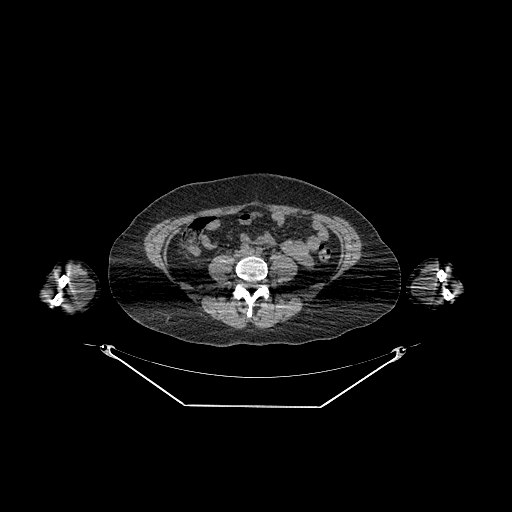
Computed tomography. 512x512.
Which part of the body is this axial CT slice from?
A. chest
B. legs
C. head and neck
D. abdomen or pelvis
D. abdomen or pelvis
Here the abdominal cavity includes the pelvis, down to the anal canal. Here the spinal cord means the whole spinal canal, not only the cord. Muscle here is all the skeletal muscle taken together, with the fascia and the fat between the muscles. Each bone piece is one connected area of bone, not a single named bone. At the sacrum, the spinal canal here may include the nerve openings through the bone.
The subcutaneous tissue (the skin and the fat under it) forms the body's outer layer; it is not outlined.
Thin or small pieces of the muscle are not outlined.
Outlined structures:
abdominal cavity: (249, 206) (326, 225) (340, 243) (341, 254) (335, 271) (327, 280) (290, 289) (288, 283) (298, 271) (291, 257) (274, 252) (268, 265) (253, 253) (238, 260) (222, 253) (207, 265) (213, 282) (193, 285) (176, 279) (166, 255) (171, 239) (184, 225) (209, 215) (234, 214)
muscle 1: (254, 200) (263, 203) (281, 204) (304, 209) (311, 209) (318, 213) (336, 215) (345, 219) (349, 222) (359, 235) (362, 242) (361, 249) (362, 255) (354, 265) (345, 270) (332, 284) (326, 287) (299, 314) (282, 324) (263, 329) (258, 328) (251, 324) (240, 329) (234, 328) (229, 329) (212, 319) (197, 307) (182, 292) (169, 282) (159, 269) (148, 261) (143, 249) (143, 240) (148, 231) (155, 224) (164, 219) (171, 217) (178, 217) (204, 209) (242, 204), around a hole outlined by (249, 206) (324, 224) (339, 239) (341, 252) (327, 280) (300, 289) (288, 285) (296, 262) (272, 253) (265, 279) (269, 296) (254, 301) (251, 317) (245, 300) (232, 294) (239, 279) (237, 260) (229, 253) (211, 259) (213, 282) (198, 285) (176, 279) (166, 257) (186, 223)
muscle 2: (65, 263) (80, 265) (86, 271) (87, 275) (95, 281) (96, 285) (93, 299) (76, 312) (69, 312) (59, 308) (64, 300) (62, 290) (66, 285) (71, 284) (70, 277) (66, 272) (56, 278) (57, 291) (49, 299) (50, 305) (41, 297) (42, 288) (49, 276) (59, 265)
muscle 3: (431, 263) (439, 263) (449, 268) (449, 270) (458, 278) (461, 285) (461, 289) (455, 297) (456, 293) (448, 287) (443, 285) (441, 287) (441, 294) (442, 297) (446, 301) (441, 304) (438, 304) (434, 306) (429, 306) (416, 299) (413, 296) (411, 291) (412, 281) (426, 265) with a hole at (438, 269) (442, 269) (445, 272) (445, 273) (446, 274) (446, 277) (445, 278) (445, 279) (444, 280) (443, 280) (442, 281) (440, 281) (440, 280) (439, 279) (439, 278) (436, 275) (437, 274) (437, 270)
left arm: (435, 256) (441, 259) (446, 260) (452, 264) (455, 270) (455, 273) (458, 278) (462, 281) (464, 289) (461, 295) (455, 300) (448, 304) (445, 304) (441, 308) (438, 309) (429, 309) (417, 305) (408, 299) (406, 294) (406, 282) (410, 273) (421, 261) (428, 257) (434, 257)
spinal cord: (247, 281) (250, 281) (251, 282) (258, 282) (258, 283) (259, 284) (255, 288) (255, 289) (252, 292) (248, 288) (248, 287) (247, 286) (246, 286) (245, 285) (245, 283)
right arm: (68, 258) (77, 258) (82, 260) (89, 265) (98, 276) (101, 287) (99, 297) (97, 301) (86, 311) (75, 315) (66, 315) (63, 314) (59, 310) (51, 309) (48, 307) (46, 307) (43, 303) (39, 301) (37, 296) (38, 286) (46, 275) (51, 270) (53, 266) (59, 261)
bones 1: (249, 254) (261, 257) (267, 263) (268, 273) (265, 282) (270, 292) (269, 296) (266, 299) (260, 296) (254, 301) (251, 317) (247, 317) (246, 311) (248, 305) (245, 300) (243, 298) (238, 300) (235, 299) (232, 294) (235, 285) (239, 281) (234, 271) (234, 266) (237, 261), around a hole outlined by (247, 281) (250, 281) (251, 282) (258, 282) (258, 283) (259, 284) (255, 288) (255, 289) (252, 292) (248, 288) (248, 287) (247, 286) (246, 286) (245, 285) (245, 283)
bones 2: (66, 273) (66, 274) (68, 275) (69, 277) (70, 284) (68, 283) (66, 284) (61, 290) (62, 291) (62, 298) (63, 300) (59, 305) (57, 306) (51, 306) (51, 303) (49, 301) (50, 299) (51, 299) (58, 291) (58, 282) (57, 281) (57, 278) (61, 275)
bones 3: (443, 286) (444, 286) (445, 287) (446, 287) (447, 288) (448, 288) (452, 292) (453, 292) (454, 293) (455, 293) (454, 294) (454, 297) (452, 299) (450, 299) (449, 300) (446, 300) (443, 297) (443, 295) (442, 294) (442, 287)
bones 4: (438, 269) (442, 269) (445, 272) (445, 273) (446, 274) (446, 277) (445, 278) (445, 279) (444, 280) (443, 280) (442, 281) (440, 281) (440, 280) (439, 279) (439, 278) (436, 275) (437, 274) (437, 270)
torso: (250, 172) (274, 173) (310, 182) (336, 194) (362, 213) (398, 260) (401, 287) (395, 306) (369, 325) (350, 330) (332, 339) (297, 345) (278, 343) (213, 346) (190, 343) (148, 329) (128, 317) (114, 299) (108, 283) (108, 255) (116, 237) (142, 209) (156, 198) (180, 185)